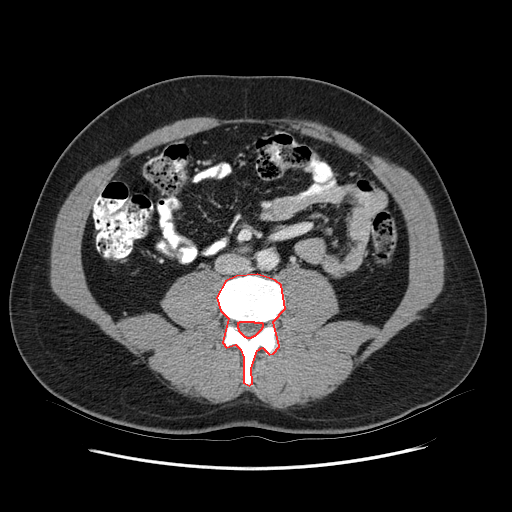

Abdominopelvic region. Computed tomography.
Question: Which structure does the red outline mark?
Answer: red: bones.
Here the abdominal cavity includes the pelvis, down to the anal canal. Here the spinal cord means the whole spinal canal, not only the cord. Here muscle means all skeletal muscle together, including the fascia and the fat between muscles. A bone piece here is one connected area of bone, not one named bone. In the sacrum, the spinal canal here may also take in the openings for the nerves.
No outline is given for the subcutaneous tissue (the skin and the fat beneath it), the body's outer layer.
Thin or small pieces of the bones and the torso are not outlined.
Outlined structures:
bones: 249,385 252,383 251,368 257,350 262,347 269,354 273,353 279,346 273,321 285,308 281,285 275,280 257,274 236,276 225,281 216,297 220,310 228,318 222,342 226,347 235,344 240,349 243,357 243,382 with a hole at 246,337 251,337 252,336 253,336 254,335 255,335 262,328 262,327 263,326 263,324 262,323 255,323 254,322 239,322 238,323 237,323 237,327 238,328 238,330 244,336 245,336
muscle: 286,409 308,406 333,392 372,353 421,318 420,312 441,292 445,267 439,227 419,181 405,168 332,127 289,117 180,119 86,172 62,204 54,226 50,285 56,295 183,396 225,404 250,392 262,402; inner edge: 249,385 257,350 279,346 281,269 328,278 340,307 330,320 381,327 405,291 409,248 401,211 357,156 277,125 239,123 124,160 93,204 82,261 114,320 168,319 159,301 179,276 218,273 222,342 240,349
torso: 171,434 236,426 315,434 377,429 439,403 475,365 486,332 486,299 451,198 418,141 360,95 326,81 291,75 174,77 142,87 104,109 71,140 49,172 9,289 9,321 20,355 49,392 78,411 119,425
abdominal cavity: 379,327 407,285 405,222 367,165 334,144 277,125 225,124 124,160 93,204 82,261 92,294 114,320 145,312 168,319 159,301 195,269 226,280 246,273 274,279 285,267 301,267 332,284 340,311 330,320
spinal cord: 246,337 251,337 252,336 253,336 254,335 255,335 262,328 262,327 263,326 263,324 262,323 255,323 254,322 239,322 238,323 237,323 237,327 238,328 238,330 244,336 245,336